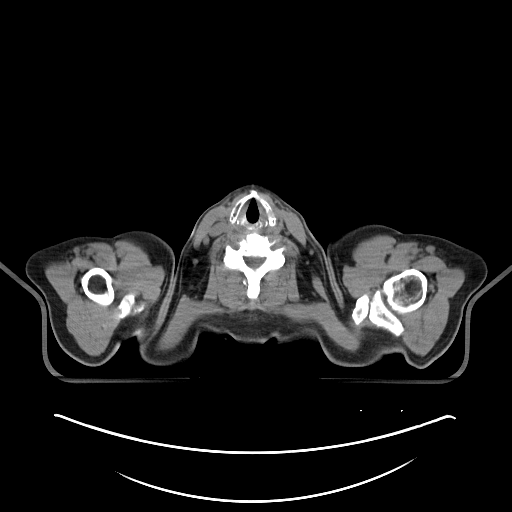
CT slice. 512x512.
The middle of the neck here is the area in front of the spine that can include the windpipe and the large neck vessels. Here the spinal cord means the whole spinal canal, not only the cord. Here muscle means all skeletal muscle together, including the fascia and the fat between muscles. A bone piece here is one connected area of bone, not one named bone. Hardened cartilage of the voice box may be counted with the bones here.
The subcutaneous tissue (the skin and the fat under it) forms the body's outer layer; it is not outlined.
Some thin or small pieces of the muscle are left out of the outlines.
The bones appear in 5 outlined pieces: piece 1: (408, 268) (415, 268) (421, 271) (427, 278) (428, 286) (424, 302) (417, 309) (398, 316) (404, 328) (403, 332) (399, 336) (395, 336) (389, 331) (377, 327) (368, 317) (362, 321) (360, 326) (357, 326) (351, 317) (355, 300) (365, 293) (371, 297) (381, 287) (384, 280); piece 2: (254, 231) (266, 235) (270, 241) (277, 239) (275, 245) (285, 247) (283, 251) (285, 261) (280, 268) (264, 274) (259, 283) (258, 296) (252, 300) (248, 298) (246, 293) (247, 285) (243, 283) (244, 274) (237, 269) (224, 268) (223, 255) (226, 244) (233, 245) (247, 232) with a hole at (244, 257) (259, 257) (260, 258) (264, 258) (264, 259) (263, 260) (263, 261) (262, 262) (262, 263) (258, 267) (257, 267) (256, 268) (252, 268) (251, 267) (250, 267) (246, 263) (246, 262) (245, 261) (245, 259) (244, 258); piece 3: (92, 267) (101, 267) (103, 268) (111, 276) (112, 278) (112, 285) (114, 289) (114, 299) (113, 301) (109, 305) (107, 306) (103, 306) (93, 301) (91, 299) (90, 299) (84, 293) (84, 291) (82, 288) (82, 286) (80, 282) (80, 278) (81, 276) (86, 271) (87, 271); piece 4: (251, 189) (256, 190) (270, 205) (276, 217) (276, 223) (274, 226) (266, 224) (268, 220) (266, 210) (261, 202) (254, 196) (249, 197) (242, 205) (237, 216) (237, 220) (239, 221) (234, 223) (231, 223) (229, 221) (229, 214) (235, 203) (240, 198) (247, 194); piece 5: (129, 292) (133, 292) (135, 294) (135, 299) (137, 302) (142, 302) (144, 304) (144, 309) (141, 312) (134, 315) (129, 315) (125, 318) (121, 319) (118, 322) (116, 321) (114, 318) (114, 315) (115, 313) (118, 311) (118, 308) (117, 307) (118, 306) (118, 304) (123, 296). The muscle appears in 2 outlined pieces: piece 1: (249, 188) (268, 192) (299, 218) (325, 285) (342, 314) (348, 312) (350, 301) (342, 283) (345, 258) (356, 243) (365, 238) (387, 234) (430, 244) (459, 264) (465, 270) (466, 278) (452, 298) (446, 325) (433, 347) (420, 356) (399, 339) (378, 331) (358, 350) (352, 352) (336, 345) (313, 322) (297, 323) (281, 315) (246, 310) (233, 315) (209, 315) (200, 318) (174, 348) (167, 351) (156, 350) (154, 346) (157, 335) (183, 278) (201, 220) (211, 209) with holes at (251, 189) (270, 205) (276, 223) (283, 224) (281, 235) (268, 235) (268, 239) (277, 239) (275, 245) (285, 247) (283, 265) (264, 274) (253, 300) (247, 296) (244, 274) (224, 268) (223, 263) (225, 245) (233, 245) (246, 234) (229, 238) (221, 231) (230, 222) (235, 203) and at (408, 268) (415, 268) (421, 271) (427, 278) (428, 286) (424, 302) (417, 309) (398, 316) (404, 328) (403, 332) (399, 336) (395, 336) (389, 331) (377, 327) (368, 317) (362, 321) (360, 326) (357, 326) (351, 317) (355, 300) (365, 293) (371, 297) (381, 287) (384, 280); piece 2: (117, 239) (129, 239) (141, 245) (163, 266) (166, 272) (163, 289) (158, 303) (144, 322) (128, 321) (120, 324) (114, 331) (105, 350) (99, 355) (93, 356) (84, 352) (68, 332) (65, 324) (66, 309) (46, 278) (43, 269) (47, 263) (62, 256) (75, 246) with holes at (92, 267) (101, 267) (103, 268) (111, 276) (112, 278) (112, 285) (114, 289) (114, 299) (113, 301) (109, 305) (107, 306) (103, 306) (93, 301) (91, 299) (90, 299) (84, 293) (84, 291) (82, 288) (82, 286) (80, 282) (80, 278) (81, 276) (86, 271) (87, 271) and at (129, 292) (133, 292) (135, 294) (135, 299) (137, 302) (142, 302) (144, 304) (144, 309) (141, 312) (134, 315) (129, 315) (125, 318) (121, 319) (118, 322) (116, 321) (114, 318) (114, 315) (115, 313) (118, 311) (118, 308) (117, 307) (118, 306) (118, 304) (123, 296). The torso is outlined by (366, 223) (398, 230) (379, 260) (376, 291) (401, 354) (345, 367) (330, 362) (311, 341) (241, 344) (211, 334) (203, 334) (192, 355) (174, 366) (144, 362) (134, 337) (114, 354) (125, 287) (116, 234) (157, 234) (179, 256) (202, 301) (253, 322) (297, 301) (323, 247). The left arm is outlined by (399, 231) (404, 233) (423, 233) (443, 237) (477, 252) (483, 257) (487, 265) (487, 276) (481, 287) (467, 301) (458, 331) (452, 343) (443, 354) (428, 366) (422, 369) (416, 368) (408, 364) (404, 359) (402, 355) (398, 335) (377, 291) (377, 272) (380, 260) (388, 244). The right arm is outlined by (81, 235) (95, 235) (106, 237) (116, 235) (120, 243) (124, 260) (124, 287) (118, 319) (118, 332) (114, 346) (113, 356) (105, 363) (98, 366) (84, 365) (70, 357) (60, 347) (48, 321) (46, 306) (43, 297) (25, 273) (25, 263) (28, 257) (34, 251) (44, 246). The head and neck is outlined by (249, 182) (257, 182) (267, 186) (296, 209) (303, 216) (309, 229) (322, 245) (322, 254) (314, 274) (311, 277) (303, 294) (297, 300) (285, 309) (268, 317) (253, 321) (242, 321) (221, 313) (207, 304) (195, 293) (181, 262) (180, 252) (200, 214) (207, 207) (234, 188). The middle of the neck is outlined by (251, 197) (254, 197) (259, 201) (264, 208) (267, 218) (265, 222) (266, 225) (274, 227) (278, 223) (283, 224) (281, 235) (274, 237) (254, 230) (247, 231) (238, 238) (229, 238) (222, 233) (222, 226) (229, 223) (234, 224) (240, 221) (238, 220) (240, 211) (245, 202). The spinal cord is outlined by (244, 257) (259, 257) (260, 258) (264, 258) (264, 259) (263, 260) (263, 261) (262, 262) (262, 263) (258, 267) (257, 267) (256, 268) (252, 268) (251, 267) (250, 267) (246, 263) (246, 262) (245, 261) (245, 259) (244, 258).